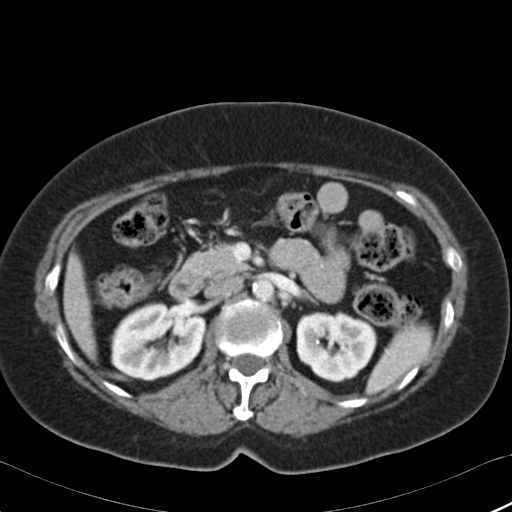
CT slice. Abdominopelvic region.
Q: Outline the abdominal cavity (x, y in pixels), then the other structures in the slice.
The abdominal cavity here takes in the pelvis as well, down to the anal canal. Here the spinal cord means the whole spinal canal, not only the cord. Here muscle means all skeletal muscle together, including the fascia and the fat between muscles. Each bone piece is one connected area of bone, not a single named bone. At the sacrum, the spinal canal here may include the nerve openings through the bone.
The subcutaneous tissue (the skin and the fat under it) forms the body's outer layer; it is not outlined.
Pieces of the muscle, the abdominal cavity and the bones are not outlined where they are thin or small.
A: The abdominal cavity is outlined by [[248,166],[273,166],[374,188],[423,220],[437,238],[452,271],[437,341],[431,355],[392,387],[371,396],[333,394],[291,365],[288,325],[249,297],[224,304],[197,366],[153,392],[127,391],[72,349],[56,288],[63,256],[78,232],[106,209],[146,190]]. The muscle is outlined by [[250,160],[295,161],[304,163],[333,165],[374,173],[384,177],[396,180],[401,180],[414,184],[423,189],[434,200],[441,210],[459,243],[465,248],[464,251],[467,259],[469,273],[468,274],[468,290],[466,296],[465,310],[464,314],[460,320],[461,325],[458,328],[455,337],[448,349],[437,373],[425,385],[398,405],[381,413],[355,420],[350,423],[337,425],[317,433],[307,435],[304,438],[295,438],[288,434],[274,433],[258,426],[255,429],[245,427],[233,433],[231,433],[230,431],[226,431],[215,435],[208,435],[203,437],[194,437],[183,433],[177,433],[168,430],[148,420],[145,420],[137,415],[132,414],[123,409],[119,409],[111,404],[107,403],[78,384],[63,366],[62,359],[56,349],[57,344],[50,335],[48,328],[38,318],[34,308],[34,299],[35,298],[34,276],[35,270],[38,262],[44,253],[45,247],[51,232],[63,215],[75,204],[90,196],[92,196],[94,194],[108,190],[117,189],[128,183],[138,181],[158,174],[163,174],[170,171],[186,169],[191,167],[207,166],[208,165],[222,165]], around holes outlined by [[248,166],[273,166],[379,190],[425,222],[437,238],[444,261],[448,246],[457,251],[462,267],[452,271],[446,296],[453,306],[453,322],[445,329],[443,304],[431,355],[411,369],[418,368],[418,372],[402,389],[397,390],[398,381],[371,396],[333,394],[291,365],[286,346],[289,328],[284,323],[282,343],[270,358],[273,370],[249,393],[248,408],[253,416],[239,420],[232,410],[241,401],[240,385],[230,380],[223,368],[226,356],[215,343],[217,317],[196,367],[156,391],[132,393],[130,398],[108,389],[102,383],[103,375],[74,351],[76,365],[60,346],[54,334],[56,325],[62,322],[56,291],[45,293],[45,277],[55,263],[62,262],[72,240],[90,220],[146,190]] and by [[360,397],[364,397],[365,398],[367,398],[368,399],[368,401],[366,403],[365,403],[363,405],[359,407],[356,407],[355,408],[344,408],[336,404],[336,402],[337,401],[341,401],[342,400],[346,400],[347,399],[351,399],[352,398],[359,398]] and by [[396,190],[403,190],[408,193],[410,193],[412,195],[413,195],[416,198],[416,199],[419,202],[419,205],[416,207],[415,206],[413,206],[412,205],[411,205],[409,203],[408,203],[407,202],[404,201],[401,198],[400,198],[397,195],[396,195],[394,193]] and by [[286,376],[292,376],[294,378],[295,378],[299,382],[300,382],[301,383],[301,384],[304,387],[304,389],[306,391],[306,392],[307,393],[306,394],[306,395],[304,395],[300,391],[300,390],[299,389],[299,388],[292,381],[291,381],[287,376]]. The bones appear in 10 outlined pieces: piece 1: [[247,298],[265,306],[281,319],[283,339],[270,358],[273,370],[268,379],[256,383],[249,393],[248,408],[253,412],[253,416],[239,420],[233,415],[232,410],[241,401],[240,385],[230,380],[227,370],[223,368],[226,356],[216,345],[215,339],[222,307]]; inner edge: [[242,354],[251,354],[252,355],[255,355],[258,357],[263,358],[265,360],[266,363],[264,366],[258,369],[254,373],[250,375],[245,375],[243,374],[237,368],[234,367],[231,363],[231,360],[233,357],[236,357]]; piece 2: [[58,323],[61,323],[64,328],[64,330],[65,331],[65,333],[67,337],[67,340],[71,347],[71,349],[73,351],[74,356],[77,362],[79,364],[78,366],[76,365],[68,357],[66,353],[58,343],[55,337],[55,335],[54,334],[55,332],[55,327]]; piece 3: [[55,263],[59,263],[60,264],[60,272],[59,273],[58,282],[55,288],[55,290],[52,294],[52,295],[48,295],[46,293],[45,293],[44,291],[44,282],[45,281],[45,277],[46,275],[49,272],[49,271],[52,268],[52,267]]; piece 4: [[448,246],[452,246],[457,251],[457,252],[459,254],[459,255],[461,258],[461,260],[462,261],[462,267],[461,268],[461,269],[459,271],[458,271],[457,272],[452,270],[452,269],[446,263],[446,262],[445,261],[445,252],[446,251],[446,249]]; piece 5: [[360,397],[364,397],[365,398],[367,398],[368,399],[368,401],[366,403],[365,403],[363,405],[359,407],[356,407],[355,408],[344,408],[336,404],[336,402],[337,401],[341,401],[342,400],[346,400],[347,399],[351,399],[352,398],[359,398]]; piece 6: [[446,298],[449,299],[452,303],[452,305],[453,306],[453,310],[454,311],[454,319],[453,320],[453,322],[452,323],[452,324],[449,327],[449,328],[446,330],[445,329],[445,326],[444,325],[444,323],[443,322],[443,317],[445,314],[445,301],[446,300]]; piece 7: [[104,379],[105,380],[107,380],[108,381],[109,381],[110,382],[119,386],[127,392],[130,393],[132,395],[132,396],[130,398],[128,398],[127,397],[125,397],[124,396],[120,396],[119,395],[116,394],[111,390],[108,389],[102,383],[102,381]]; piece 8: [[396,190],[403,190],[408,193],[410,193],[412,195],[413,195],[416,198],[416,199],[419,202],[419,205],[416,207],[415,206],[413,206],[412,205],[411,205],[409,203],[408,203],[407,202],[404,201],[401,198],[400,198],[397,195],[396,195],[394,193]]; piece 9: [[415,368],[418,368],[418,371],[417,372],[416,375],[414,377],[414,378],[407,385],[406,385],[402,389],[401,389],[400,390],[397,390],[397,388],[396,387],[396,386],[397,386],[398,385],[398,384],[399,384],[400,383],[400,382],[408,373],[409,373]]; piece 10: [[286,376],[292,376],[294,378],[295,378],[299,382],[300,382],[301,383],[301,384],[304,387],[304,389],[306,391],[306,392],[307,393],[306,394],[306,395],[304,395],[300,391],[300,390],[299,389],[299,388],[292,381],[291,381],[287,376]]. The torso is outlined by [[219,101],[293,101],[361,116],[421,141],[457,174],[500,242],[511,303],[501,371],[467,421],[410,449],[346,467],[283,474],[240,453],[217,470],[192,471],[78,445],[37,423],[16,402],[0,377],[0,250],[21,212],[53,174],[95,142],[173,110]]. The spinal cord is outlined by [[242,354],[251,354],[252,355],[255,355],[258,357],[263,358],[265,360],[266,363],[264,366],[258,369],[254,373],[250,375],[245,375],[243,374],[237,368],[234,367],[231,363],[231,360],[233,357],[236,357]].